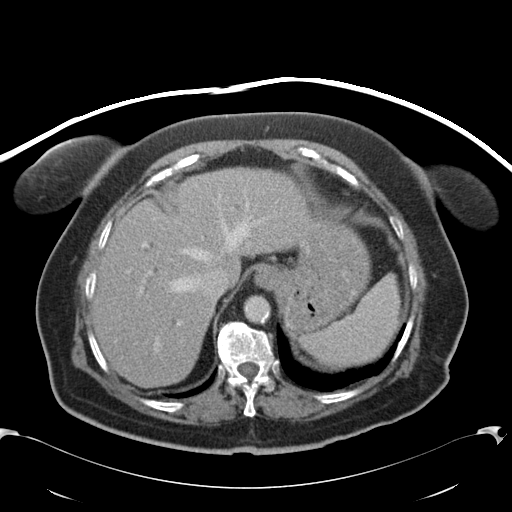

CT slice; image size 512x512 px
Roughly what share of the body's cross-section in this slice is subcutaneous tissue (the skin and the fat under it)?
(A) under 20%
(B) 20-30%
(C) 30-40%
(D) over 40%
Answer: (C) 30-40%
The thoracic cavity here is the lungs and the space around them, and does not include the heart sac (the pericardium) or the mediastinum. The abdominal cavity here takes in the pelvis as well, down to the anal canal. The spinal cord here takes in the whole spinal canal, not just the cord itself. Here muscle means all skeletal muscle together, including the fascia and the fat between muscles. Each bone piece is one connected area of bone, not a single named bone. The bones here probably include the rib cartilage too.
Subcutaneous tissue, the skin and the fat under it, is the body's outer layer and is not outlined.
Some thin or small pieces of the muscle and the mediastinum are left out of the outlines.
{"thoracic_cavity":[[[404,324],[403,331],[396,344],[389,363],[378,374],[365,379],[349,389],[332,392],[320,392],[302,387],[284,373],[281,368],[280,360],[277,356],[278,326],[287,341],[293,359],[303,366],[315,372],[329,375],[360,369],[374,364],[385,355],[396,340]],[[216,368],[216,375],[212,383],[205,389],[200,391],[198,393],[196,393],[191,396],[182,398],[178,400],[163,400],[162,399],[157,399],[159,399],[163,396],[168,394],[177,394],[196,388],[198,386],[203,384],[204,382],[210,377]]],"abdominal_cavity":[[[238,148],[313,163],[314,180],[328,196],[373,211],[387,224],[407,266],[407,319],[374,363],[321,373],[294,359],[278,325],[272,294],[249,281],[219,318],[219,362],[209,377],[185,391],[148,397],[110,369],[92,327],[96,272],[112,221],[141,192]]],"torso":[[[264,111],[354,120],[420,164],[462,166],[491,188],[501,220],[489,233],[467,229],[437,205],[469,301],[447,384],[393,423],[263,455],[154,445],[66,412],[50,386],[35,300],[79,201],[26,215],[12,202],[15,180],[80,136],[129,143],[191,117]]],"muscle":[[[263,138],[303,139],[339,150],[402,213],[416,238],[427,281],[420,351],[414,367],[408,377],[317,419],[292,423],[254,416],[259,387],[273,391],[276,381],[270,373],[279,380],[281,369],[295,384],[319,392],[312,396],[322,404],[359,394],[363,390],[355,387],[394,362],[410,337],[415,315],[408,318],[408,290],[416,289],[418,272],[412,262],[407,265],[398,241],[405,238],[402,221],[392,214],[384,215],[357,190],[361,185],[353,173],[314,148],[299,145],[296,151],[316,163],[281,158],[264,148],[238,147],[177,173],[200,159],[201,154],[194,152],[153,173],[142,185],[146,189],[129,199],[102,228],[97,241],[102,250],[97,269],[91,270],[84,281],[85,297],[91,300],[92,331],[87,331],[87,341],[100,368],[105,373],[109,368],[122,382],[146,396],[138,400],[148,407],[173,413],[185,405],[179,400],[198,394],[213,382],[217,388],[225,380],[229,393],[241,388],[245,397],[242,413],[246,417],[208,427],[142,413],[109,394],[71,360],[74,289],[93,233],[117,199],[164,154],[200,141]]],"bones":[{"outer":[[235,320],[264,331],[280,364],[279,379],[269,373],[275,381],[274,389],[267,391],[264,385],[258,387],[253,398],[255,414],[252,417],[243,413],[246,397],[241,387],[235,386],[229,392],[225,379],[217,387],[214,386],[220,362],[218,332],[223,324]],"hole":[[246,362],[251,362],[252,363],[253,363],[254,364],[255,364],[258,366],[258,370],[257,371],[256,374],[253,377],[252,377],[251,378],[249,378],[248,377],[245,376],[243,374],[242,374],[238,370],[238,366],[239,365],[240,365],[243,363],[245,363]]},[[299,146],[303,146],[304,147],[314,149],[329,162],[334,163],[344,168],[353,174],[359,182],[360,185],[359,188],[358,189],[354,189],[353,187],[338,175],[331,173],[320,167],[317,164],[317,162],[315,160],[309,157],[301,155],[297,151],[297,147]],[[194,153],[198,153],[200,154],[200,157],[196,162],[176,171],[172,175],[168,177],[166,177],[163,180],[157,182],[154,185],[150,187],[145,188],[143,186],[144,183],[153,174],[166,167],[170,166],[181,158],[183,158],[186,156],[188,156]],[[354,388],[360,388],[362,390],[356,395],[341,401],[337,401],[336,402],[332,402],[331,403],[322,403],[317,400],[313,396],[315,394],[320,394],[321,393],[332,393],[333,392],[338,392],[339,391],[349,390]],[[139,398],[152,398],[153,399],[156,399],[157,400],[162,400],[163,401],[181,401],[183,402],[184,405],[180,409],[178,410],[176,410],[173,412],[168,412],[167,411],[164,411],[163,410],[156,409],[150,406],[148,406],[141,402],[139,400]],[[411,315],[414,315],[414,319],[413,320],[413,325],[412,326],[411,332],[409,335],[409,337],[397,358],[394,361],[391,362],[391,359],[396,349],[397,344],[399,340],[401,338],[402,334],[404,331],[404,329],[406,325],[406,322]],[[88,331],[90,331],[93,333],[93,335],[97,342],[97,344],[99,347],[99,349],[101,353],[103,355],[103,357],[105,359],[105,361],[107,364],[107,366],[108,367],[108,372],[105,372],[101,368],[92,353],[92,351],[90,348],[90,345],[88,341]],[[93,270],[95,271],[95,275],[96,276],[96,278],[95,279],[95,287],[94,288],[94,292],[93,293],[93,296],[92,298],[90,300],[89,300],[87,299],[86,297],[86,295],[85,294],[85,281],[89,273]],[[391,215],[395,217],[397,217],[401,221],[401,223],[402,224],[402,227],[403,228],[403,235],[404,236],[404,238],[403,240],[400,240],[397,237],[392,226],[390,224],[390,222],[388,218],[389,216]],[[110,219],[112,220],[111,221],[111,223],[112,224],[111,226],[111,229],[109,232],[109,235],[107,238],[107,240],[105,243],[105,245],[104,247],[102,249],[100,249],[98,247],[98,241],[99,240],[99,237],[106,223],[108,221],[108,220]],[[409,263],[412,263],[413,264],[413,265],[414,266],[414,267],[415,268],[415,269],[417,272],[417,283],[416,284],[416,287],[414,290],[413,290],[411,288],[411,287],[410,286],[410,284],[409,283],[409,278],[408,277],[408,264]]],"mediastinum":[[[249,282],[257,284],[269,292],[273,298],[275,305],[275,319],[277,322],[276,356],[268,334],[264,330],[252,327],[244,321],[237,319],[229,320],[223,323],[220,327],[220,318],[222,317],[222,314],[224,313],[228,304],[238,291]],[[314,164],[316,164],[325,171],[338,176],[354,190],[356,190],[365,196],[366,198],[369,199],[381,213],[387,218],[395,235],[388,224],[380,218],[377,213],[373,210],[352,205],[346,202],[342,202],[336,200],[328,195],[315,180],[313,173],[313,165]]],"spinal_cord":[[[246,362],[251,362],[252,363],[253,363],[254,364],[255,364],[258,366],[258,370],[257,371],[256,374],[253,377],[252,377],[251,378],[249,378],[248,377],[245,376],[243,374],[242,374],[238,370],[238,366],[239,365],[240,365],[243,363],[245,363]]]}